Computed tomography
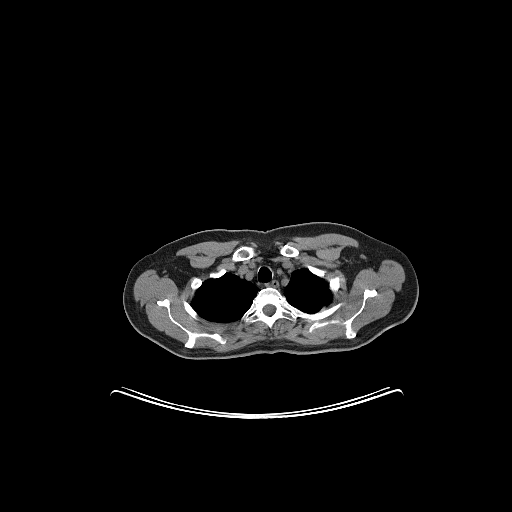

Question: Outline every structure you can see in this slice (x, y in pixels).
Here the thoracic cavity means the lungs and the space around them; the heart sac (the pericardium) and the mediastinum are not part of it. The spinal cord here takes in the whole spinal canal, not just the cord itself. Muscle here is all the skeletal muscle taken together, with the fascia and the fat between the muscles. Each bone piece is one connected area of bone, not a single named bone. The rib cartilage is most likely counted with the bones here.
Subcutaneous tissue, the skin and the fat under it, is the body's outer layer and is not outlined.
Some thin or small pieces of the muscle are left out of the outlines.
Answer: Outlined structures:
muscle: 324 233; 338 233; 358 241; 358 247; 348 247; 344 252; 346 261; 342 269; 350 280; 361 269; 377 270; 384 259; 398 262; 405 273; 390 311; 357 333; 352 323; 363 311; 367 299; 378 294; 377 290; 366 287; 360 306; 346 319; 322 320; 343 305; 341 301; 331 305; 341 278; 335 275; 325 279; 326 272; 310 264; 304 267; 290 261; 264 259; 238 263; 229 271; 221 267; 211 271; 204 280; 199 276; 193 278; 189 285; 192 293; 182 305; 193 319; 200 317; 215 323; 240 320; 249 325; 259 321; 271 329; 279 319; 295 322; 302 318; 312 322; 309 333; 340 324; 345 338; 315 345; 287 339; 258 340; 223 352; 208 347; 193 348; 202 337; 224 345; 227 340; 218 331; 190 330; 173 317; 167 297; 158 299; 156 304; 165 307; 170 321; 186 333; 183 344; 152 326; 134 302; 134 283; 148 269; 156 270; 160 276; 167 275; 179 287; 185 283; 192 269; 187 259; 175 254; 183 247; 203 241; 236 239; 269 244; 277 238; inner edges: 246 246; 251 246; 253 248; 253 250; 256 253; 256 255; 255 256; 254 256; 253 257; 252 257; 250 259; 249 259; 248 260; 242 260; 241 261; 234 261; 232 259; 232 254; 237 249; 238 249; 239 248; 240 248; 241 247; 245 247, then 284 245; 288 245; 289 246; 291 246; 292 247; 294 247; 296 249; 297 249; 298 250; 298 254; 297 255; 297 256; 296 257; 290 257; 289 256; 285 256; 284 255; 282 255; 279 252; 279 250; 281 248; 281 247; 282 246; 283 246
bones 1: 268 286; 310 314; 341 302; 322 321; 349 318; 361 306; 366 288; 375 289; 377 294; 366 299; 352 321; 356 335; 346 338; 340 323; 309 332; 313 322; 302 317; 295 321; 279 318; 271 328; 259 320; 249 324; 242 321; 259 290 with a hole at 268 304; 270 304; 271 305; 273 305; 275 307; 275 310; 274 311; 274 312; 271 315; 267 315; 263 311; 263 308; 266 305; 267 305
bones 2: 166 298; 169 300; 170 313; 172 317; 184 327; 192 332; 218 332; 226 340; 226 342; 224 344; 220 344; 212 338; 202 336; 196 339; 192 348; 185 347; 184 343; 188 338; 187 333; 171 321; 167 308; 165 306; 157 304; 158 300
bones 3: 246 246; 251 246; 253 248; 253 250; 256 253; 256 255; 255 256; 254 256; 253 257; 252 257; 250 259; 249 259; 248 260; 242 260; 241 261; 234 261; 232 259; 232 254; 237 249; 238 249; 239 248; 240 248; 241 247; 245 247
bones 4: 284 245; 288 245; 289 246; 291 246; 292 247; 294 247; 296 249; 297 249; 298 250; 298 254; 297 255; 297 256; 296 257; 290 257; 289 256; 285 256; 284 255; 282 255; 279 252; 279 250; 281 248; 281 247; 282 246; 283 246
bones 5: 335 276; 338 276; 340 278; 340 286; 339 287; 339 288; 337 290; 337 291; 336 292; 336 293; 335 294; 333 294; 329 288; 329 283; 328 282; 328 281; 327 280; 327 279; 328 278; 331 278; 332 277; 334 277
bones 6: 184 300; 185 300; 192 307; 192 308; 197 313; 197 314; 198 315; 198 316; 199 317; 199 318; 198 319; 195 319; 194 318; 193 318; 186 311; 186 310; 184 308; 184 306; 183 305; 183 301
bones 7: 307 265; 310 265; 311 266; 313 266; 316 268; 319 268; 320 269; 322 269; 325 272; 324 273; 324 274; 325 275; 325 278; 323 278; 322 277; 320 277; 319 276; 314 274; 312 272; 311 272; 309 270; 309 269; 308 268; 307 268
bones 8: 197 277; 199 277; 202 280; 202 282; 201 283; 201 285; 195 291; 194 291; 193 292; 192 292; 192 290; 191 289; 191 287; 190 286; 190 285; 191 284; 191 282; 192 281; 192 280; 193 279; 194 279; 195 278; 196 278
bones 9: 221 268; 224 268; 226 270; 226 272; 225 272; 221 276; 220 276; 219 277; 217 277; 216 278; 214 278; 213 277; 209 277; 209 274; 211 272; 215 272; 216 271; 217 271; 218 270; 219 270
mediastinum: 264 260; 268 260; 272 262; 290 262; 294 265; 300 265; 301 267; 293 270; 290 273; 289 281; 281 291; 276 287; 270 285; 259 288; 245 278; 240 278; 235 274; 233 274; 231 271; 238 264; 246 265; 256 262; 261 262
spinal cord: 268 304; 270 304; 271 305; 273 305; 275 307; 275 310; 274 311; 274 312; 271 315; 267 315; 263 311; 263 308; 266 305; 267 305
torso: 315 221; 345 224; 389 243; 408 257; 415 270; 419 293; 413 312; 404 322; 388 329; 366 345; 347 351; 314 354; 277 352; 227 359; 187 359; 169 352; 144 337; 129 322; 122 302; 128 273; 138 260; 164 244; 207 229; 264 231
thoracic cavity 1: 230 271; 233 275; 235 275; 240 279; 245 279; 248 282; 255 285; 259 289; 252 299; 249 307; 241 315; 239 319; 230 322; 209 321; 199 316; 198 313; 188 302; 191 295; 202 285; 203 281; 206 279; 208 278; 216 279
thoracic cavity 2: 302 267; 308 269; 308 270; 314 275; 327 281; 328 283; 328 288; 333 295; 333 302; 326 309; 324 309; 320 311; 316 311; 312 313; 303 311; 297 307; 292 305; 281 292; 290 281; 291 273; 293 271; 297 269; 300 269